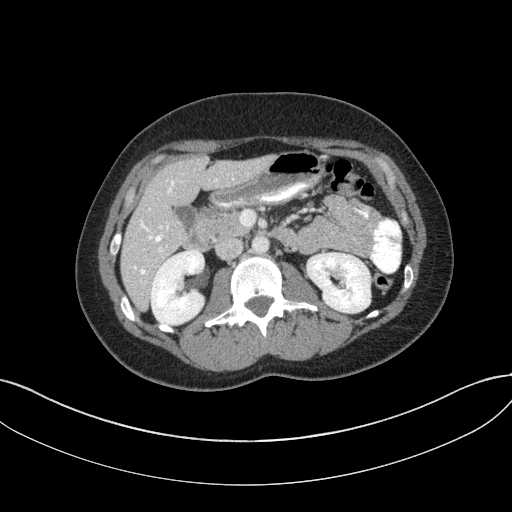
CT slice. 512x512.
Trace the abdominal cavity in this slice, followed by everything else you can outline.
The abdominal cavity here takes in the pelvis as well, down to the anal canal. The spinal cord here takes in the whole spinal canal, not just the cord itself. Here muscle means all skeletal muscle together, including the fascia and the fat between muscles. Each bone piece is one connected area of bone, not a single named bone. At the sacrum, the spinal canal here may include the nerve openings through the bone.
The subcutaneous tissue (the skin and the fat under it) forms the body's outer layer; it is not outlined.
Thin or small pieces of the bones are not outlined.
{"abdominal_cavity":[[[174,329],[203,311],[213,274],[223,266],[232,268],[244,255],[292,263],[327,307],[350,317],[363,316],[391,301],[403,281],[411,246],[397,213],[367,167],[346,156],[268,139],[210,154],[170,151],[140,188],[124,222],[116,274],[140,318]]],"spinal_cord":[[[259,316],[262,316],[266,313],[268,307],[272,302],[272,299],[271,298],[270,298],[269,297],[267,297],[266,296],[259,296],[258,297],[254,297],[253,298],[251,298],[245,304],[245,305],[248,308],[249,308],[254,313],[255,313]]],"bones":[{"outer":[[263,336],[266,335],[268,323],[275,316],[282,317],[285,311],[291,312],[301,308],[314,312],[317,307],[283,296],[282,274],[272,258],[244,256],[234,264],[230,277],[232,305],[207,320],[205,326],[223,323],[229,326],[242,326],[250,321],[258,327]],"hole":[[259,316],[262,316],[266,313],[268,307],[272,302],[272,299],[271,298],[270,298],[269,297],[267,297],[266,296],[259,296],[258,297],[254,297],[253,298],[251,298],[245,304],[245,305],[248,308],[249,308],[254,313],[255,313]]},[[391,189],[393,189],[395,186],[395,176],[393,172],[389,167],[388,164],[385,161],[384,161],[379,157],[376,157],[375,158],[375,160],[378,162],[379,165],[384,172],[385,174],[385,176],[386,177],[386,179],[387,180],[387,182],[389,186],[391,188]],[[132,321],[138,321],[138,319],[135,316],[133,312],[133,310],[129,303],[129,301],[126,295],[125,294],[122,294],[121,296],[121,298],[120,299],[120,306],[121,307],[121,309],[123,313],[125,315],[125,316],[128,319]],[[404,290],[406,290],[411,285],[411,284],[412,283],[412,282],[413,281],[413,271],[412,270],[412,268],[411,267],[411,266],[410,265],[410,264],[409,263],[407,263],[405,265],[405,266],[404,267],[404,281],[403,282],[403,289]],[[113,257],[114,257],[115,256],[115,255],[117,252],[117,250],[119,247],[119,244],[121,241],[121,233],[120,232],[116,232],[114,234],[114,235],[112,237],[112,239],[111,240],[111,241],[110,242],[110,244],[109,245],[109,252],[110,253],[110,254]]],"muscle":[{"outer":[[215,372],[239,370],[245,368],[268,356],[274,356],[280,359],[289,360],[290,361],[304,361],[311,359],[316,356],[323,356],[330,352],[344,347],[361,335],[379,327],[384,323],[386,323],[397,316],[403,310],[404,307],[407,304],[416,284],[416,281],[418,278],[420,263],[423,257],[424,250],[426,247],[427,238],[426,237],[425,225],[422,219],[421,212],[416,201],[416,197],[407,182],[403,173],[395,163],[394,160],[389,155],[380,150],[376,149],[374,147],[353,139],[338,139],[332,137],[317,137],[316,136],[280,136],[279,135],[260,134],[259,135],[252,135],[251,136],[236,137],[235,138],[227,138],[226,139],[190,138],[189,139],[174,140],[167,143],[164,143],[155,149],[149,151],[133,165],[120,186],[110,206],[108,216],[103,229],[103,233],[99,241],[97,258],[98,259],[98,271],[101,278],[101,281],[107,291],[110,300],[112,302],[113,309],[118,321],[128,332],[144,341],[146,341],[153,345],[158,346],[166,350],[184,363],[188,364],[192,367],[204,371],[214,371]],"holes":[[[263,336],[285,311],[317,310],[283,296],[281,260],[327,307],[354,318],[376,317],[406,290],[411,246],[397,213],[367,167],[346,156],[268,139],[170,151],[109,245],[123,313],[173,333],[203,311],[213,274],[227,266],[233,303],[205,326],[250,321]],[[391,189],[393,189],[395,186],[395,176],[393,172],[389,167],[388,164],[385,161],[384,161],[379,157],[376,157],[375,158],[375,160],[378,162],[379,165],[384,172],[385,174],[385,176],[386,177],[386,179],[387,180],[387,182],[389,186],[391,188]],[[126,204],[128,204],[129,203],[130,203],[132,201],[132,199],[133,198],[133,197],[134,196],[134,194],[135,193],[135,187],[134,186],[131,186],[129,188],[129,189],[128,190],[128,191],[127,192],[127,193],[126,194],[126,195],[125,196],[125,203]],[[405,224],[407,224],[409,222],[409,221],[408,220],[408,217],[407,216],[407,215],[406,214],[406,213],[404,211],[402,211],[401,212],[401,214],[402,215],[402,219],[403,220],[403,221],[404,222],[404,223]],[[151,163],[155,163],[156,162],[157,162],[161,158],[161,157],[162,156],[162,155],[158,155],[157,156],[156,156],[153,159],[152,159],[151,160]]]}],"torso":[[[189,391],[226,390],[267,376],[309,381],[348,376],[397,355],[434,321],[447,297],[454,267],[448,215],[423,166],[378,117],[321,94],[230,92],[172,109],[139,131],[121,150],[88,209],[78,240],[74,271],[78,301],[96,337],[121,365],[154,383]]]}